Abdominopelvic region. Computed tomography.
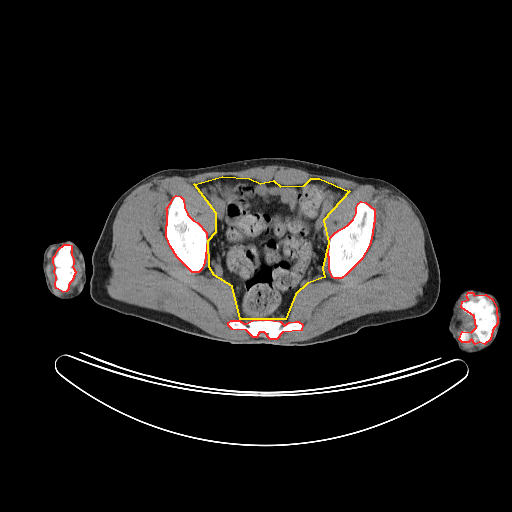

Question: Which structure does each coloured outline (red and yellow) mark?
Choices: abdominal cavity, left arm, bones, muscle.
Answer: red: bones; yellow: abdominal cavity.
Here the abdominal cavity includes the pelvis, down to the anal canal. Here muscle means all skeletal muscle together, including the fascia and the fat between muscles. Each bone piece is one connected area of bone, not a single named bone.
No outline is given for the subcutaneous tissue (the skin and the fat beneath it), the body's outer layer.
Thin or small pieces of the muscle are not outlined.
The bones appear in 5 outlined pieces: piece 1: [[361,201],[365,202],[374,209],[374,222],[373,223],[372,234],[369,245],[361,259],[346,274],[341,278],[334,278],[332,277],[329,269],[329,257],[328,256],[329,240],[331,236],[335,232],[347,225],[353,219],[356,213],[356,207],[358,203]]; piece 2: [[176,195],[180,196],[183,199],[184,207],[187,214],[193,220],[197,222],[206,232],[207,244],[206,245],[205,258],[203,265],[201,269],[198,272],[192,272],[177,257],[170,246],[166,236],[166,225],[167,224],[167,209],[166,208],[171,202],[173,197]]; piece 3: [[468,292],[472,292],[474,295],[485,294],[492,299],[496,307],[497,323],[492,330],[490,339],[484,344],[479,342],[475,344],[471,339],[468,342],[462,342],[459,339],[462,331],[471,332],[476,327],[474,316],[461,307],[462,301],[468,299],[466,296]]; piece 4: [[266,319],[280,321],[284,325],[289,322],[295,321],[298,321],[302,324],[301,330],[282,332],[276,339],[270,339],[264,332],[259,332],[256,337],[253,337],[246,330],[232,329],[228,325],[228,322],[231,320],[239,320],[243,323],[246,323],[252,320]]; piece 5: [[64,244],[69,244],[71,245],[71,254],[73,259],[73,264],[72,266],[75,271],[75,273],[73,276],[73,278],[68,285],[68,289],[66,291],[63,292],[56,288],[55,286],[56,276],[54,272],[55,267],[53,263],[53,257],[55,255],[58,249]]. The abdominal cavity is outlined by [[222,176],[249,178],[260,183],[273,180],[280,186],[304,185],[311,178],[319,178],[349,191],[323,220],[328,242],[322,268],[324,277],[307,283],[295,294],[285,319],[240,319],[232,286],[214,275],[209,267],[208,240],[216,231],[216,213],[194,184]]. The muscle appears in 3 outlined pieces: piece 1: [[267,165],[382,185],[403,198],[421,224],[427,260],[427,281],[415,305],[369,313],[306,340],[283,343],[257,337],[264,333],[276,340],[282,333],[301,331],[300,321],[284,324],[280,320],[289,316],[294,297],[302,288],[325,277],[327,254],[331,277],[341,279],[370,245],[375,209],[363,200],[357,203],[352,219],[326,240],[324,220],[350,191],[319,177],[296,185],[235,175],[194,183],[215,213],[215,231],[208,239],[180,195],[174,195],[165,208],[165,236],[176,257],[192,273],[198,273],[208,246],[208,267],[214,276],[229,283],[236,300],[239,319],[231,319],[227,325],[252,338],[219,337],[173,314],[109,296],[112,226],[125,198],[136,188],[158,176],[188,177]]; piece 2: [[72,246],[77,253],[77,258],[80,263],[81,279],[73,292],[60,295],[54,290],[49,280],[47,272],[48,253],[52,248],[59,247],[52,257],[54,267],[53,272],[55,276],[54,286],[64,293],[69,289],[69,285],[76,273],[73,266],[74,259]]; piece 3: [[464,296],[465,296],[467,299],[464,299],[461,301],[460,307],[464,312],[469,315],[472,315],[473,316],[473,321],[475,324],[475,327],[471,331],[469,331],[466,329],[462,330],[459,333],[458,336],[457,329],[461,323],[460,320],[458,319],[458,305]]. The torso is outlined by [[261,157],[299,159],[359,176],[383,179],[409,197],[425,219],[439,265],[440,289],[433,308],[418,317],[365,327],[355,334],[333,341],[303,347],[284,347],[267,344],[232,345],[97,304],[89,293],[92,253],[110,209],[127,189],[159,170],[197,168]]. The left arm is outlined by [[468,288],[480,289],[490,292],[497,299],[501,309],[501,321],[495,339],[489,346],[480,351],[473,353],[466,353],[459,349],[456,342],[452,337],[452,335],[449,331],[449,328],[448,327],[449,326],[449,321],[452,315],[452,306],[455,300],[462,291]]. The right arm is outlined by [[65,240],[70,240],[74,242],[81,250],[85,260],[85,274],[86,275],[86,281],[85,282],[84,287],[82,291],[77,296],[70,299],[61,299],[52,294],[49,291],[46,285],[44,272],[42,267],[43,254],[46,247],[51,243],[64,241]].